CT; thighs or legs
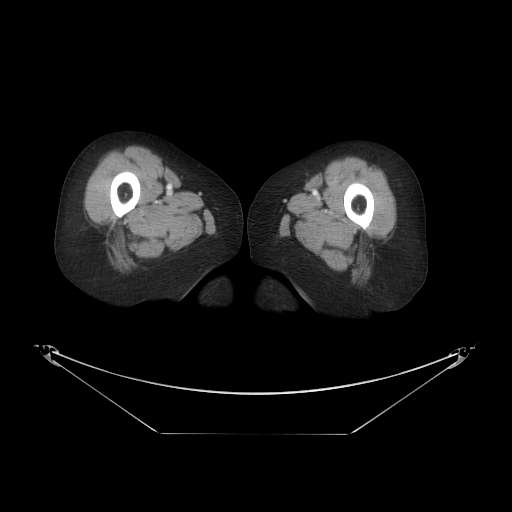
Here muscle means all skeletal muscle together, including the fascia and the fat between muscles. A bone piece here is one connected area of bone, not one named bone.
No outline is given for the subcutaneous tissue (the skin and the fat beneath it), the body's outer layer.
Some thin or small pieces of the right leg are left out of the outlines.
{"right_leg":[[[126,129],[156,134],[181,148],[217,173],[236,193],[242,207],[243,230],[238,253],[227,263],[204,276],[183,298],[171,305],[161,304],[149,309],[138,306],[112,309],[98,303],[74,286],[63,275],[56,262],[54,229],[58,202],[71,163],[96,137]],[[222,272],[231,274],[235,279],[235,282],[236,283],[236,290],[237,291],[235,305],[231,310],[227,312],[219,312],[218,313],[216,313],[215,312],[203,312],[202,311],[199,311],[197,309],[197,305],[194,301],[194,297],[196,293],[208,280],[215,275]]],"bones":[[[122,171],[130,171],[134,173],[136,175],[140,184],[140,194],[139,195],[139,199],[136,205],[127,213],[126,213],[121,217],[118,217],[113,212],[113,210],[111,207],[109,193],[110,192],[110,184],[111,183],[111,181],[113,177],[116,174]],[[353,182],[359,182],[362,184],[364,184],[368,187],[371,191],[373,196],[373,200],[374,201],[374,211],[373,212],[371,221],[366,229],[363,229],[359,225],[352,221],[347,216],[344,209],[344,206],[343,205],[343,196],[344,195],[344,192],[346,188]]],"left_leg":[[[350,138],[382,143],[399,153],[414,170],[426,212],[428,271],[424,284],[403,308],[379,314],[373,321],[330,320],[314,310],[289,284],[302,307],[301,312],[255,313],[250,295],[262,273],[249,258],[247,236],[247,214],[255,194],[279,169],[323,145]]],"muscle":[{"outer":[[132,144],[145,146],[157,154],[185,184],[201,196],[205,206],[209,209],[214,218],[216,232],[149,270],[139,272],[132,276],[123,276],[113,269],[108,261],[105,252],[104,235],[91,226],[85,218],[83,211],[83,198],[87,180],[102,156],[109,150]],"hole":[[122,171],[130,171],[134,173],[136,175],[140,184],[140,194],[139,195],[139,199],[136,205],[127,213],[126,213],[121,217],[118,217],[113,212],[113,210],[111,207],[109,193],[110,192],[110,184],[111,183],[111,181],[113,177],[116,174]]},{"outer":[[348,155],[370,159],[380,167],[387,178],[396,202],[397,221],[393,235],[386,243],[378,246],[372,266],[372,281],[370,286],[364,289],[352,288],[338,282],[326,274],[310,255],[279,236],[278,233],[286,200],[295,194],[324,165],[334,159]],"hole":[[353,182],[359,182],[362,184],[364,184],[368,187],[371,191],[373,196],[373,200],[374,201],[374,211],[373,212],[371,221],[366,229],[363,229],[359,225],[352,221],[347,216],[344,209],[344,206],[343,205],[343,196],[344,195],[344,192],[346,188]]}]}